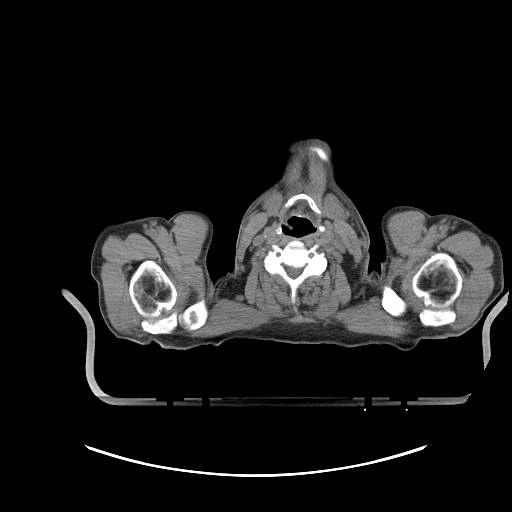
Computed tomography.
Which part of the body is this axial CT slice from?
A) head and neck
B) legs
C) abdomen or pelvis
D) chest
Answer: A) head and neck
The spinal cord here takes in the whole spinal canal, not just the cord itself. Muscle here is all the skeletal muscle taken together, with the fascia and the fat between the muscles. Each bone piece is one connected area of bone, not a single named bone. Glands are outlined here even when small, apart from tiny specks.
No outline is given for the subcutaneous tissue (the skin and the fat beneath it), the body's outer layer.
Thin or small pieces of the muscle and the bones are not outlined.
{"spinal_cord":[[[284,266],[291,266],[292,267],[294,267],[295,268],[300,268],[301,267],[303,267],[303,269],[302,270],[301,273],[298,276],[297,276],[296,277],[293,278],[292,277],[290,277],[288,275],[288,274],[286,272],[286,270],[285,269],[285,267]]],"head_and_neck":[{"outer":[[306,137],[325,140],[333,150],[339,183],[369,233],[368,269],[378,271],[380,306],[422,340],[409,351],[387,344],[343,347],[245,338],[184,350],[162,348],[157,343],[184,338],[208,321],[215,282],[234,267],[236,239],[244,212],[279,178],[286,145]],"hole":[[292,217],[296,217],[301,219],[305,219],[309,222],[309,223],[314,229],[309,232],[307,232],[301,235],[294,235],[293,234],[289,234],[285,232],[283,230],[283,226],[284,226],[289,231],[291,231],[294,228],[293,225],[289,222],[289,220]]}],"left_arm":[[[396,205],[415,206],[432,215],[449,213],[459,216],[473,222],[497,240],[503,257],[503,291],[485,309],[479,321],[465,333],[441,339],[421,339],[396,319],[388,315],[381,306],[379,271],[380,262],[385,256],[385,245],[380,230],[380,219],[385,210]]],"bones":[[[145,260],[153,260],[172,281],[177,292],[172,311],[181,313],[190,305],[202,299],[205,300],[208,315],[202,326],[193,330],[186,330],[178,325],[170,333],[160,334],[148,333],[142,329],[141,321],[144,318],[137,312],[130,299],[129,283],[138,265]],[[436,252],[445,252],[454,259],[462,278],[462,284],[458,296],[449,306],[449,308],[453,310],[455,313],[455,320],[449,324],[441,326],[425,326],[421,323],[419,318],[419,313],[425,306],[423,304],[422,299],[418,297],[413,291],[412,278],[420,265]],{"outer":[[295,238],[302,241],[307,248],[318,244],[318,250],[325,254],[327,259],[327,266],[321,275],[309,276],[299,285],[296,290],[295,301],[292,302],[289,285],[280,275],[270,274],[265,269],[264,258],[271,249],[272,244],[276,244],[282,248],[289,241]],"hole":[[284,266],[291,266],[292,267],[294,267],[295,268],[300,268],[301,267],[303,267],[303,269],[302,270],[301,273],[298,276],[297,276],[296,277],[293,278],[292,277],[290,277],[288,275],[288,274],[286,272],[286,270],[285,269],[285,267]]},[[385,285],[388,285],[390,287],[391,287],[394,290],[394,291],[406,303],[406,311],[403,315],[402,315],[401,316],[399,316],[398,317],[393,316],[392,315],[391,315],[387,311],[386,311],[382,307],[382,306],[381,305],[381,294],[382,293],[382,289]],[[301,193],[306,194],[308,196],[312,198],[312,199],[317,205],[318,208],[321,211],[320,215],[318,215],[312,209],[311,209],[308,203],[303,199],[297,200],[288,208],[285,208],[284,207],[284,204],[289,198],[290,198],[294,195],[300,194]],[[309,146],[319,146],[320,147],[321,147],[328,154],[328,155],[329,156],[329,161],[328,162],[326,162],[325,161],[322,160],[317,155],[317,154],[315,152],[309,150],[309,149],[308,148],[309,147]]],"right_arm":[[[182,210],[203,212],[211,219],[214,227],[207,254],[207,268],[211,279],[215,281],[207,321],[201,328],[186,336],[167,342],[142,345],[116,337],[101,316],[97,301],[97,284],[90,273],[90,260],[96,237],[105,226],[112,223],[146,216],[168,219]]],"submandibular_glands":[[[328,193],[331,193],[335,195],[336,197],[347,208],[347,209],[349,211],[349,215],[347,217],[347,218],[344,218],[343,219],[340,219],[339,220],[336,220],[335,219],[331,219],[325,213],[324,211],[324,199],[325,198],[325,196]],[[272,190],[277,190],[278,191],[279,191],[282,194],[282,201],[281,202],[281,206],[279,208],[279,209],[276,211],[273,211],[272,212],[271,212],[270,211],[267,211],[263,207],[263,199],[264,198],[264,197],[267,194],[267,193],[268,192],[269,192]]],"muscle":[{"outer":[[304,146],[329,162],[346,205],[328,192],[324,213],[339,221],[350,211],[361,228],[361,265],[347,258],[343,267],[357,298],[386,279],[393,213],[418,211],[429,224],[453,219],[490,245],[494,286],[469,324],[442,326],[456,320],[450,306],[463,278],[455,259],[436,251],[411,278],[424,326],[399,338],[278,321],[210,337],[171,333],[202,327],[207,302],[241,289],[241,231],[262,200],[267,212],[280,209],[275,189]],"holes":[[[295,238],[302,241],[307,248],[318,244],[318,250],[325,254],[327,259],[327,266],[321,275],[309,276],[299,285],[296,290],[295,301],[292,302],[289,285],[280,275],[270,274],[265,269],[264,258],[271,249],[272,244],[276,244],[282,248],[289,241]],[[385,285],[388,285],[390,287],[391,287],[394,290],[394,291],[406,303],[406,311],[403,315],[402,315],[401,316],[399,316],[398,317],[393,316],[392,315],[391,315],[387,311],[386,311],[382,307],[382,306],[381,305],[381,294],[382,293],[382,289]],[[292,217],[296,217],[301,219],[305,219],[309,222],[309,223],[314,229],[309,232],[307,232],[301,235],[294,235],[293,234],[289,234],[285,232],[283,230],[283,226],[284,226],[289,231],[291,231],[294,228],[293,225],[289,222],[289,220]],[[301,193],[306,194],[308,196],[312,198],[312,199],[317,205],[318,208],[321,211],[320,215],[318,215],[312,209],[311,209],[308,203],[303,199],[297,200],[288,208],[285,208],[284,207],[284,204],[289,198],[290,198],[294,195],[300,194]],[[278,224],[279,224],[280,225],[280,226],[281,227],[281,228],[281,229],[281,230],[281,231],[281,232],[281,233],[280,233],[279,234],[278,234],[277,233],[276,232],[276,231],[276,230],[276,229],[276,228],[277,227],[277,226],[278,225]]]},[[184,213],[199,215],[208,224],[199,257],[205,299],[181,312],[172,310],[178,296],[173,281],[153,259],[145,259],[129,278],[128,296],[143,318],[141,329],[148,334],[118,331],[106,310],[100,276],[105,238],[111,233],[134,232],[148,221],[169,227]]]}